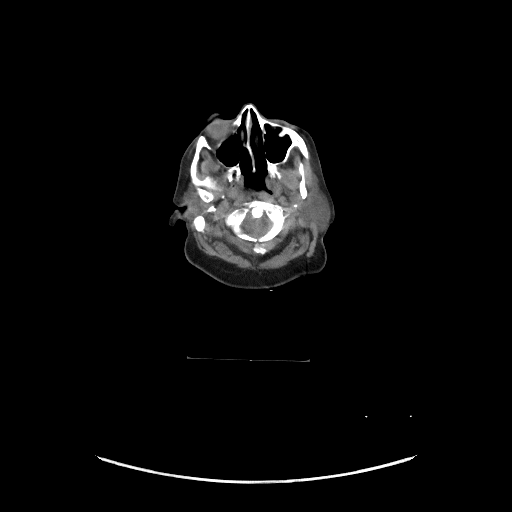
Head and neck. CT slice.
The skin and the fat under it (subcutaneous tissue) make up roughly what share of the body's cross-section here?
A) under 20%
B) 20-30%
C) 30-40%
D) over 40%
B) 20-30%
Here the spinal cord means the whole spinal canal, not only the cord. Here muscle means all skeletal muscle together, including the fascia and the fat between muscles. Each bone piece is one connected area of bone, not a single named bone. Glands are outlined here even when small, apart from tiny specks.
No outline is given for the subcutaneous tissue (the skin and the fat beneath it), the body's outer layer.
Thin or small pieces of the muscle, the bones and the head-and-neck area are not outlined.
{"parotid_glands":[[[315,183],[317,183],[318,184],[320,189],[325,195],[329,206],[329,217],[328,218],[328,220],[326,222],[325,226],[322,230],[320,230],[318,228],[318,225],[308,217],[304,213],[304,211],[303,210],[303,202],[307,197],[308,193],[312,187],[312,185]],[[187,186],[189,186],[191,187],[194,190],[195,190],[197,192],[198,194],[198,196],[200,198],[200,201],[203,207],[203,211],[200,214],[191,214],[190,213],[190,206],[186,202],[182,200],[182,197],[183,196],[183,192],[186,189],[186,187]]],"head_and_neck":[{"outer":[[245,103],[252,103],[268,119],[283,119],[311,135],[335,211],[323,239],[327,253],[324,268],[271,290],[232,288],[208,277],[184,255],[184,223],[177,220],[172,227],[168,223],[176,208],[172,198],[185,149],[209,114],[218,112],[223,118],[235,118]],"hole":[[252,112],[263,144],[266,141],[266,126],[278,130],[278,138],[286,136],[289,140],[280,160],[264,159],[267,173],[264,188],[246,186],[241,164],[238,161],[228,166],[216,154],[228,138],[238,134],[241,146],[248,153],[251,171],[256,171],[250,142]]}],"bones":[[[247,104],[265,118],[295,130],[306,145],[308,159],[294,147],[278,166],[281,177],[266,177],[265,159],[280,161],[290,140],[286,135],[278,137],[279,130],[266,125],[263,143],[252,111],[249,142],[255,171],[238,133],[228,137],[215,154],[228,167],[238,162],[243,180],[228,181],[213,151],[203,147],[196,175],[200,179],[211,176],[217,187],[211,191],[213,199],[205,202],[190,177],[196,141],[203,135],[214,145]],{"outer":[[254,199],[269,201],[283,207],[292,208],[289,215],[284,220],[283,228],[278,234],[265,243],[267,251],[263,254],[254,252],[253,244],[250,241],[244,240],[236,236],[231,228],[227,226],[225,223],[225,217],[228,213],[235,208],[240,207],[244,202]],"hole":[[248,213],[249,213],[250,214],[250,216],[254,219],[260,219],[263,216],[265,216],[269,220],[269,221],[271,223],[271,225],[265,232],[265,233],[260,236],[256,237],[255,236],[252,236],[250,234],[244,231],[242,227],[242,223],[246,218],[247,214]]},[[299,160],[300,160],[303,164],[303,170],[304,171],[304,180],[305,181],[305,186],[307,190],[307,195],[304,199],[303,199],[301,197],[300,195],[300,193],[299,192],[299,182],[301,178],[300,176],[300,174],[298,171],[298,167],[299,166]],[[197,215],[202,215],[204,217],[204,218],[205,219],[205,222],[206,223],[206,224],[205,225],[205,227],[204,228],[204,230],[202,232],[201,232],[200,231],[198,231],[195,228],[195,227],[193,224],[193,219],[194,218],[194,217]]],"muscle":[{"outer":[[302,136],[309,146],[318,180],[308,192],[304,164],[299,159],[297,167],[303,213],[319,230],[313,255],[280,268],[253,271],[203,254],[196,246],[188,216],[196,215],[192,224],[202,233],[207,223],[201,214],[201,200],[210,203],[214,199],[212,191],[218,187],[211,175],[197,175],[201,150],[212,151],[225,169],[228,182],[242,180],[246,187],[264,189],[267,177],[282,177],[279,166],[289,159],[294,148],[309,159]],"holes":[[[254,199],[269,201],[283,207],[292,208],[289,215],[284,220],[283,228],[278,234],[265,243],[267,251],[263,254],[254,252],[253,244],[250,241],[244,240],[236,236],[231,228],[227,226],[225,223],[225,217],[228,213],[235,208],[240,207],[244,202]],[[210,205],[211,205],[212,205],[213,205],[214,206],[215,207],[215,208],[216,209],[215,210],[215,211],[214,211],[213,212],[212,212],[211,212],[210,212],[209,212],[208,212],[207,212],[206,211],[206,210],[206,209],[207,208],[208,207],[209,206]]]}],"spinal_cord":[[[248,213],[249,213],[250,214],[250,216],[254,219],[260,219],[263,216],[265,216],[269,220],[269,221],[271,223],[271,225],[265,232],[265,233],[260,236],[256,237],[255,236],[252,236],[250,234],[244,231],[242,227],[242,223],[246,218],[247,214]]]}